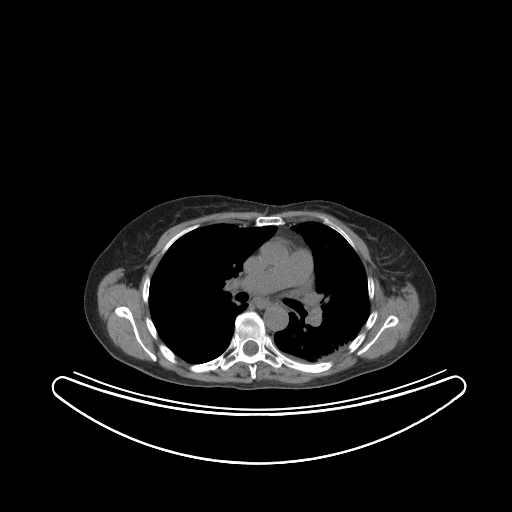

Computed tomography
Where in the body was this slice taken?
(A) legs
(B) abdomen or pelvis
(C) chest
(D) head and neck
(C) chest
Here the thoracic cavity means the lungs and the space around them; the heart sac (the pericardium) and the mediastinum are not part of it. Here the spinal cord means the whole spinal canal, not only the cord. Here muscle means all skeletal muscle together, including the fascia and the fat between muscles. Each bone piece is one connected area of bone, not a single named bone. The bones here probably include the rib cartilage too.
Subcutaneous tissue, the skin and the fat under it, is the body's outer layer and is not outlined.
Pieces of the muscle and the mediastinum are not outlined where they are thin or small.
Outlined structures:
muscle: [[288,210],[320,211],[348,226],[366,244],[375,264],[375,274],[387,296],[394,297],[407,282],[414,286],[420,307],[402,343],[378,358],[360,359],[344,370],[302,383],[269,379],[250,383],[192,379],[155,362],[131,356],[114,344],[97,304],[98,284],[108,272],[124,268],[123,279],[137,288],[145,272],[144,260],[170,227],[217,212],[257,211],[267,215],[258,215],[253,225],[222,222],[201,226],[197,222],[184,227],[165,243],[151,277],[148,274],[144,277],[141,289],[142,300],[148,305],[150,314],[144,317],[145,325],[155,340],[159,336],[163,342],[157,346],[161,354],[172,364],[178,362],[177,357],[181,358],[190,364],[187,368],[193,373],[218,368],[226,371],[243,362],[254,380],[260,361],[276,369],[284,365],[304,373],[321,373],[334,365],[330,359],[345,346],[349,354],[364,353],[385,329],[398,323],[398,317],[389,314],[373,337],[359,348],[366,331],[378,317],[376,309],[370,310],[375,293],[374,279],[366,274],[354,241],[337,223],[320,213],[316,215],[320,221],[287,222],[273,214]]; inner edge: [[118,306],[126,306],[130,310],[134,319],[139,337],[144,345],[155,355],[156,357],[156,360],[155,361],[152,360],[151,357],[142,348],[140,344],[137,341],[135,337],[133,327],[130,321],[127,318],[119,316],[115,313],[114,311],[115,308]]
pericardium: [[276,237],[282,237],[286,239],[293,240],[297,243],[301,243],[306,246],[311,252],[313,260],[313,275],[315,283],[311,290],[305,295],[300,297],[286,296],[276,298],[265,298],[256,290],[247,273],[243,265],[245,261],[248,258],[254,255],[260,246]]
bones 1: [[244,311],[258,314],[265,331],[286,356],[302,363],[330,360],[333,365],[321,372],[304,372],[284,364],[276,368],[260,360],[254,379],[249,365],[243,361],[226,370],[220,367],[203,372],[189,370],[191,364],[212,360],[226,349],[234,333],[235,319]] with a hole at [[248,341],[253,341],[255,343],[256,343],[256,344],[257,345],[257,351],[254,354],[252,354],[251,355],[248,355],[247,354],[246,354],[244,352],[244,351],[243,350],[243,347],[244,346],[244,345]]
bones 2: [[389,315],[394,315],[397,317],[398,321],[395,325],[385,328],[381,332],[377,339],[360,355],[357,355],[355,351],[351,353],[349,353],[347,348],[348,344],[352,341],[361,331],[365,331],[365,337],[361,344],[358,347],[359,349],[362,348],[374,337]]
bones 3: [[118,306],[126,306],[130,310],[134,319],[139,337],[144,345],[155,355],[156,357],[156,360],[155,361],[152,360],[151,357],[142,348],[140,344],[137,341],[135,337],[133,327],[130,321],[127,318],[119,316],[115,313],[114,311],[115,308]]
bones 4: [[319,214],[321,215],[324,215],[328,217],[332,221],[333,221],[336,224],[337,224],[350,237],[350,238],[353,241],[356,247],[356,251],[351,246],[351,245],[337,231],[336,231],[331,227],[322,223],[320,219],[317,216],[317,215]]
bones 5: [[268,215],[278,215],[279,216],[280,216],[282,218],[283,218],[285,220],[285,221],[286,222],[286,223],[285,223],[284,224],[282,224],[281,225],[263,225],[262,226],[256,226],[255,225],[254,225],[254,222],[255,221],[255,219],[258,216],[267,216]]
bones 6: [[197,223],[198,223],[200,225],[199,227],[195,229],[193,229],[185,233],[183,235],[180,236],[166,250],[163,255],[161,256],[160,254],[161,253],[162,249],[164,247],[166,243],[174,235],[175,235],[184,228],[188,227],[189,226],[191,226]]
bones 7: [[160,343],[163,343],[168,348],[169,348],[175,354],[175,355],[176,356],[176,359],[177,360],[177,362],[176,363],[172,363],[170,361],[169,361],[162,354],[162,353],[160,351],[160,350],[159,349],[159,348],[158,347],[158,346],[159,345],[159,344]]
bones 8: [[147,275],[148,275],[149,276],[150,276],[150,283],[149,284],[149,294],[148,295],[148,304],[146,304],[144,302],[144,301],[143,300],[143,296],[142,295],[142,289],[143,288],[143,283],[144,282],[144,279],[145,278],[145,277]]
bones 9: [[147,316],[150,317],[150,318],[151,319],[151,320],[156,329],[156,331],[157,332],[157,334],[158,335],[158,337],[157,338],[157,339],[155,339],[152,336],[152,335],[150,333],[150,332],[146,325],[146,322],[145,321],[145,317],[146,317]]
bones 10: [[373,310],[376,310],[377,311],[377,317],[376,318],[376,319],[375,320],[375,321],[374,322],[373,325],[369,329],[366,330],[364,327],[364,325],[365,324],[365,323],[366,322],[366,321],[367,320],[367,319],[368,318],[368,317],[369,316],[370,313]]
bones 11: [[367,276],[370,276],[373,279],[373,281],[374,282],[374,293],[373,294],[373,298],[372,299],[372,300],[370,300],[369,299],[369,298],[368,297],[368,288],[367,287]]
mediastinum 1: [[243,266],[255,290],[265,299],[286,297],[300,298],[309,293],[303,300],[297,301],[291,306],[290,312],[288,314],[289,320],[287,326],[276,331],[272,337],[266,331],[264,321],[257,312],[253,310],[244,310],[247,306],[245,302],[247,295],[243,288]]
mediastinum 2: [[297,222],[299,222],[294,224],[291,227],[291,229],[299,234],[303,238],[305,243],[309,248],[301,242],[297,242],[293,239],[286,238],[282,236],[276,236],[263,243],[266,240],[269,239],[275,233],[277,229],[276,226],[281,226],[287,223],[296,223]]
thoracic cavity 1: [[222,223],[256,227],[275,226],[276,229],[242,263],[241,280],[243,292],[246,295],[244,301],[246,306],[234,319],[234,329],[228,345],[219,355],[212,359],[199,363],[190,363],[177,356],[158,334],[149,307],[151,278],[161,258],[180,237],[200,227]]
thoracic cavity 2: [[304,221],[320,222],[331,228],[357,253],[366,275],[370,311],[360,331],[347,345],[328,360],[316,362],[302,362],[286,355],[277,347],[273,340],[276,332],[288,326],[292,306],[297,302],[303,301],[316,283],[312,251],[304,238],[292,229],[294,225]]
torso: [[198,194],[221,194],[269,204],[312,199],[329,200],[390,225],[418,253],[435,285],[436,307],[425,332],[407,353],[392,364],[335,385],[314,389],[186,387],[158,380],[115,359],[91,331],[83,309],[84,288],[93,262],[115,235],[144,211],[164,201]]
spinal cord: [[248,341],[253,341],[255,343],[256,343],[256,344],[257,345],[257,351],[254,354],[252,354],[251,355],[248,355],[247,354],[246,354],[244,352],[244,351],[243,350],[243,347],[244,346],[244,345]]